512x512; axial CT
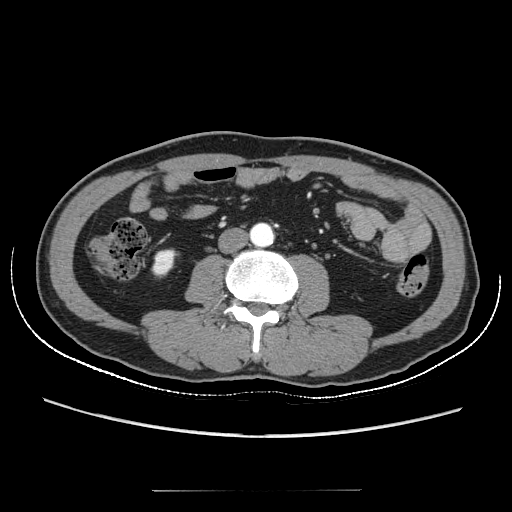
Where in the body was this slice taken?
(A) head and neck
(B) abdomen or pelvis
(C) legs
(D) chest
(B) abdomen or pelvis
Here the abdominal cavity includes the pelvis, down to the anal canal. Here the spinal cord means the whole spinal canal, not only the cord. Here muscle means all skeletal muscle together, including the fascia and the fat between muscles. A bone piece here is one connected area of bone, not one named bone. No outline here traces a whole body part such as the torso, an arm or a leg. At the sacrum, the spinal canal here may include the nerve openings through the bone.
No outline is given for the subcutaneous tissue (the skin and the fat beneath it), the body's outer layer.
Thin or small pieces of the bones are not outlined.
The bones are outlined by 245 250; 280 253; 293 266; 298 282; 293 298; 282 305; 284 314; 279 320; 274 324; 265 322; 262 325; 260 347; 257 353; 253 352; 251 347; 253 335; 251 325; 236 320; 230 313; 226 315; 222 313; 232 298; 225 283; 227 265, around a hole outlined by 247 302; 263 302; 264 303; 266 303; 267 304; 268 304; 269 305; 270 305; 271 306; 271 308; 270 308; 266 312; 265 312; 263 314; 262 314; 261 315; 254 315; 252 313; 251 313; 251 312; 243 304; 243 303; 246 303. The abdominal cavity is outlined by 259 162; 374 176; 413 199; 441 249; 442 279; 430 305; 374 337; 364 317; 320 313; 329 303; 321 265; 303 253; 264 249; 198 261; 184 293; 193 305; 184 310; 152 309; 137 324; 97 304; 76 279; 74 250; 102 204; 152 174. The muscle is outlined by 195 153; 231 153; 246 158; 275 157; 286 154; 287 155; 297 155; 298 154; 321 155; 322 156; 338 157; 344 159; 350 158; 353 161; 369 165; 375 168; 379 172; 385 173; 394 177; 405 178; 425 184; 436 191; 447 202; 455 214; 462 230; 462 234; 464 239; 464 251; 466 259; 465 262; 465 279; 464 280; 464 286; 455 309; 436 328; 425 333; 421 337; 396 344; 387 345; 379 348; 374 352; 370 353; 361 363; 353 369; 341 374; 325 375; 324 376; 310 376; 307 374; 283 376; 272 373; 266 370; 259 364; 254 365; 253 366; 254 367; 250 367; 251 366; 249 365; 239 370; 231 372; 219 372; 209 368; 204 368; 200 370; 186 370; 168 363; 158 357; 150 349; 147 343; 139 336; 127 332; 99 326; 93 321; 87 321; 80 318; 70 311; 66 307; 64 302; 57 295; 51 283; 48 263; 48 253; 53 229; 60 213; 66 204; 78 191; 98 177; 104 175; 111 175; 125 170; 136 170; 140 168; 145 168; 164 159; inner edge: 259 162; 374 176; 413 199; 441 249; 430 305; 374 337; 364 317; 320 313; 328 275; 303 253; 287 258; 298 288; 257 353; 251 325; 222 313; 229 262; 216 253; 192 269; 190 308; 137 324; 97 304; 74 250; 102 204; 152 174. The spinal cord is outlined by 247 302; 263 302; 264 303; 266 303; 267 304; 268 304; 269 305; 270 305; 271 306; 271 308; 270 308; 266 312; 265 312; 263 314; 262 314; 261 315; 254 315; 252 313; 251 313; 251 312; 243 304; 243 303; 246 303.